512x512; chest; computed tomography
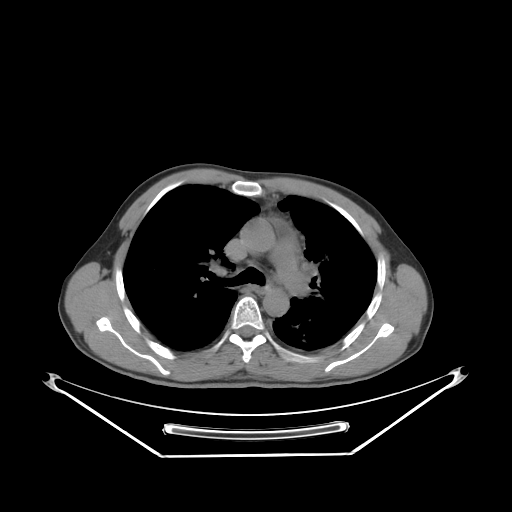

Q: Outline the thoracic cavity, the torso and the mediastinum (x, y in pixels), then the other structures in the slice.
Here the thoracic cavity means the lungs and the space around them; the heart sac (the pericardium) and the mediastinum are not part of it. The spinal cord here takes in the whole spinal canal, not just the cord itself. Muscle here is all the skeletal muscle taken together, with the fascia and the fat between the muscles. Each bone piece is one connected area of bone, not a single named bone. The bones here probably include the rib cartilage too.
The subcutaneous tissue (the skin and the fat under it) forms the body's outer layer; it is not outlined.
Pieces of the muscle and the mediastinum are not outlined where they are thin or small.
A: {"thoracic_cavity":[[[184,184],[223,186],[232,193],[254,202],[258,206],[259,211],[248,219],[222,248],[228,262],[233,263],[235,266],[236,300],[221,336],[202,347],[190,350],[177,350],[171,349],[157,341],[133,311],[124,285],[123,268],[132,238],[143,218],[165,194]],[[287,195],[306,197],[324,203],[338,212],[364,239],[376,262],[375,287],[364,313],[339,341],[325,351],[313,355],[299,353],[280,344],[266,325],[271,319],[281,318],[289,310],[291,299],[304,275],[306,238],[295,225],[290,211],[282,210],[278,205]]],"torso":[[[192,162],[215,163],[242,170],[312,175],[350,188],[372,203],[419,260],[431,284],[434,309],[422,347],[403,362],[369,379],[325,387],[287,388],[180,388],[158,385],[113,371],[82,353],[69,338],[57,311],[64,277],[101,234],[136,186],[163,169]]],"mediastinum":[[[268,193],[286,195],[277,205],[280,210],[289,211],[294,225],[305,238],[305,248],[303,275],[290,299],[288,310],[281,317],[271,318],[266,323],[258,302],[251,295],[243,295],[237,300],[236,266],[229,262],[223,248],[260,211],[259,206],[246,197]]],"spinal_cord":[[[246,325],[248,325],[249,326],[251,326],[253,328],[254,328],[256,331],[256,332],[255,333],[255,334],[253,336],[252,336],[250,338],[244,338],[243,337],[242,337],[239,334],[239,333],[238,332],[238,330],[240,328],[241,328],[243,326],[245,326]]],"muscle":[{"outer":[[192,168],[214,168],[247,179],[237,179],[229,188],[184,183],[184,179],[164,186],[145,208],[123,267],[114,268],[118,298],[122,303],[127,299],[132,309],[124,304],[124,316],[138,334],[143,325],[155,338],[144,338],[154,353],[174,360],[177,356],[173,350],[195,350],[217,340],[207,349],[215,352],[228,341],[240,348],[242,361],[248,363],[252,352],[268,342],[287,362],[314,363],[322,359],[314,355],[340,341],[339,350],[346,349],[366,325],[365,320],[359,321],[361,317],[364,315],[370,320],[376,313],[386,279],[384,255],[379,253],[375,258],[358,222],[335,202],[326,198],[322,202],[298,194],[266,193],[256,180],[252,180],[276,176],[329,187],[376,220],[381,228],[378,238],[390,255],[391,270],[394,272],[401,263],[408,264],[417,270],[425,284],[427,309],[414,343],[402,356],[381,368],[350,377],[315,381],[271,380],[246,371],[237,371],[224,378],[180,381],[127,369],[95,354],[78,335],[66,313],[64,297],[69,280],[91,261],[109,270],[124,238],[118,223],[131,204],[162,178]],"holes":[[[102,316],[106,316],[109,319],[112,327],[120,334],[128,345],[140,353],[147,354],[154,357],[165,369],[170,371],[170,373],[164,375],[150,360],[138,356],[130,351],[121,343],[119,339],[112,332],[108,330],[104,331],[99,330],[96,321]],[[385,322],[387,322],[391,324],[394,328],[393,329],[393,331],[389,335],[385,337],[383,337],[382,336],[381,337],[379,337],[369,348],[355,358],[342,364],[339,364],[333,367],[327,372],[324,370],[331,362],[344,359],[365,347],[373,339],[381,325]]]}],"bones":[{"outer":[[243,296],[251,296],[257,302],[268,331],[280,345],[299,354],[320,356],[321,359],[314,362],[287,361],[268,341],[258,345],[251,352],[248,362],[243,361],[243,352],[241,348],[228,340],[215,351],[209,351],[208,349],[222,336],[230,319],[234,305]],"hole":[[246,325],[248,325],[249,326],[251,326],[253,328],[254,328],[256,331],[256,332],[255,333],[255,334],[253,336],[252,336],[250,338],[244,338],[243,337],[242,337],[239,334],[239,333],[238,332],[238,330],[240,328],[241,328],[243,326],[245,326]]},[[102,316],[106,316],[109,319],[112,327],[120,334],[128,345],[140,353],[147,354],[154,357],[165,369],[170,371],[170,373],[164,375],[150,360],[138,356],[130,351],[121,343],[119,339],[112,332],[108,330],[104,331],[99,330],[96,321]],[[379,254],[382,254],[385,260],[385,279],[383,287],[381,290],[381,294],[382,295],[381,296],[381,301],[377,310],[372,317],[370,319],[367,319],[364,314],[365,311],[367,309],[374,293],[379,290],[379,288],[376,285],[377,282],[377,262],[376,260]],[[385,322],[387,322],[391,324],[394,328],[393,329],[393,331],[389,335],[385,337],[383,337],[382,336],[381,337],[379,337],[369,348],[355,358],[342,364],[339,364],[333,367],[327,372],[324,370],[331,362],[344,359],[365,347],[373,339],[381,325]],[[237,180],[241,180],[242,181],[246,181],[247,180],[256,181],[263,188],[265,193],[262,195],[252,195],[251,196],[244,196],[240,194],[237,194],[236,193],[234,193],[232,192],[229,189],[232,183],[233,183]],[[146,337],[151,340],[156,341],[157,342],[160,343],[162,345],[169,348],[173,351],[173,352],[175,354],[176,357],[174,359],[169,359],[168,358],[163,357],[162,356],[157,354],[155,352],[154,352],[146,343],[146,342],[145,341],[145,338]],[[361,321],[365,321],[365,325],[364,326],[364,327],[363,328],[363,329],[361,331],[361,332],[359,334],[359,335],[346,348],[345,348],[344,349],[343,349],[342,350],[340,350],[340,347],[342,345],[342,342],[341,341],[341,340],[359,322],[360,322]],[[324,199],[326,199],[331,202],[335,203],[337,205],[343,208],[349,214],[350,214],[357,222],[357,223],[361,228],[364,234],[364,238],[361,236],[361,235],[354,227],[354,226],[344,216],[343,216],[334,208],[333,208],[331,206],[325,203],[324,202]],[[117,266],[119,266],[122,268],[122,276],[123,277],[123,285],[124,286],[125,293],[127,297],[127,298],[126,298],[123,302],[122,302],[120,300],[119,298],[119,296],[118,295],[118,293],[117,292],[117,289],[116,288],[116,283],[115,282],[115,268]],[[179,180],[184,180],[184,182],[183,184],[181,184],[169,190],[166,193],[165,193],[152,206],[152,207],[143,217],[143,214],[146,208],[151,202],[151,201],[154,198],[154,197],[164,187],[165,187],[167,185],[171,183],[173,183]],[[124,305],[127,306],[134,313],[134,314],[137,317],[137,318],[140,321],[140,322],[141,323],[141,326],[140,327],[140,333],[138,333],[131,326],[131,325],[129,323],[128,320],[126,318],[126,317],[125,316],[125,314],[123,311],[123,306]]]}